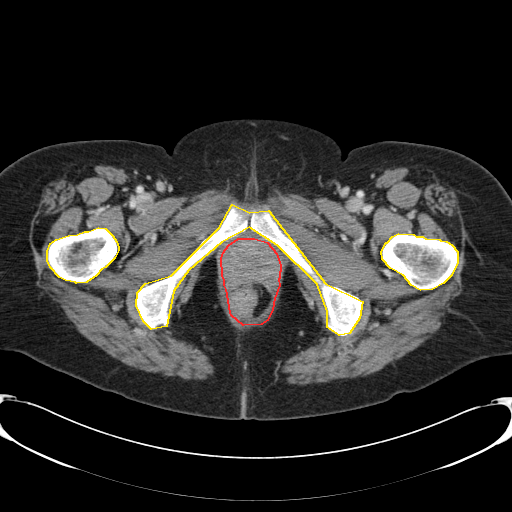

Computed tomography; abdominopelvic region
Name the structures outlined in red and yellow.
red: abdominal cavity; yellow: bones.
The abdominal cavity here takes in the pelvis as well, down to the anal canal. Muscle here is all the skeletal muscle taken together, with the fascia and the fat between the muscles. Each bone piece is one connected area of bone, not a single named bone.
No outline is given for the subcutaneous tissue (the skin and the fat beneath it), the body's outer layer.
{"abdominal_cavity":[[[238,238],[254,238],[267,242],[276,253],[280,265],[280,271],[279,272],[279,278],[278,279],[279,285],[274,298],[272,309],[267,320],[261,324],[243,325],[231,315],[230,312],[226,289],[224,285],[224,280],[222,275],[221,258],[223,252],[228,245]]],"bones":[[[232,204],[249,212],[268,210],[325,283],[362,301],[359,318],[349,333],[339,335],[327,327],[327,311],[317,284],[277,245],[249,227],[221,242],[188,270],[173,291],[166,326],[151,329],[143,321],[136,305],[137,292],[145,283],[171,275],[219,227]],[[398,233],[413,234],[416,236],[422,236],[425,238],[439,239],[440,240],[446,241],[451,244],[457,251],[457,263],[450,276],[443,283],[432,289],[420,290],[411,285],[403,275],[390,268],[382,259],[381,251],[386,242],[387,242],[392,236]],[[98,227],[105,228],[112,235],[116,241],[118,247],[118,250],[114,258],[105,267],[101,269],[96,275],[86,282],[76,283],[75,282],[65,280],[59,277],[50,267],[47,260],[47,251],[50,243],[56,239],[68,235],[77,234],[84,231],[88,231]]],"muscle":[{"outer":[[94,164],[120,166],[136,201],[207,189],[225,189],[237,197],[285,190],[327,198],[350,212],[366,208],[381,170],[415,165],[451,186],[460,200],[467,243],[462,291],[430,338],[381,369],[289,384],[280,364],[313,341],[317,325],[295,277],[285,278],[279,311],[269,326],[238,331],[219,305],[212,258],[173,322],[182,340],[209,356],[213,375],[185,380],[137,369],[86,339],[36,283],[30,231],[42,190]],"holes":[[[232,204],[249,212],[268,210],[325,283],[362,301],[359,318],[349,333],[339,335],[327,327],[327,311],[317,284],[277,245],[249,227],[221,242],[188,270],[173,291],[166,326],[151,329],[143,321],[136,305],[137,292],[145,283],[171,275],[219,227]],[[238,238],[254,238],[267,242],[276,253],[280,265],[280,271],[279,272],[279,278],[278,279],[279,285],[274,298],[272,309],[267,320],[261,324],[243,325],[231,315],[230,312],[226,289],[224,285],[224,280],[222,275],[221,258],[223,252],[228,245]],[[398,233],[413,234],[416,236],[422,236],[425,238],[439,239],[440,240],[446,241],[451,244],[457,251],[457,263],[450,276],[443,283],[432,289],[420,290],[411,285],[403,275],[390,268],[382,259],[381,251],[386,242],[387,242],[392,236]],[[98,227],[105,228],[112,235],[116,241],[118,247],[118,250],[114,258],[105,267],[101,269],[96,275],[86,282],[76,283],[75,282],[65,280],[59,277],[50,267],[47,260],[47,251],[50,243],[56,239],[68,235],[77,234],[84,231],[88,231]]]}],"torso":[[[240,118],[285,120],[317,129],[337,142],[343,157],[361,145],[397,140],[449,148],[487,168],[511,198],[511,354],[478,360],[383,403],[260,421],[150,406],[23,353],[0,350],[1,170],[35,149],[76,140],[129,139],[160,145],[170,153],[189,131]]]}